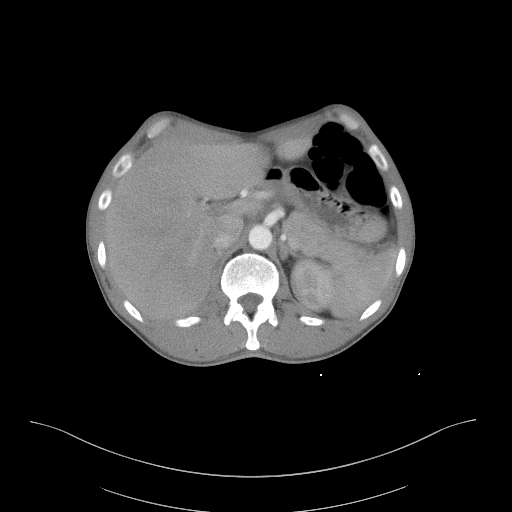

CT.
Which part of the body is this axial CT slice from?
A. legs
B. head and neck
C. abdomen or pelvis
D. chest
C. abdomen or pelvis
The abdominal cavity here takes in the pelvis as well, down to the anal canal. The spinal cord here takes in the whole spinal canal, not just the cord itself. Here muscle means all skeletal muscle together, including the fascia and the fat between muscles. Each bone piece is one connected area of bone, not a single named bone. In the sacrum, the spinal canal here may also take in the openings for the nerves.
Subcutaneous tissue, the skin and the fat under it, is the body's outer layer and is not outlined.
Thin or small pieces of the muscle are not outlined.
{"torso":[[[330,102],[348,104],[363,115],[390,152],[411,198],[415,250],[390,313],[346,350],[309,363],[286,364],[250,357],[196,367],[170,361],[154,352],[110,311],[86,251],[86,208],[109,159],[141,122],[158,110],[178,110],[214,124],[249,130],[298,116]]],"bones":[{"outer":[[246,252],[266,257],[275,265],[279,273],[279,286],[272,299],[277,324],[273,326],[266,320],[258,326],[256,336],[259,348],[256,350],[246,348],[247,331],[239,321],[233,320],[228,325],[223,321],[229,299],[221,289],[220,277],[225,264],[231,258]],"hole":[[248,293],[253,293],[254,294],[257,294],[258,295],[259,295],[262,298],[261,299],[261,301],[256,306],[255,311],[252,313],[247,313],[246,312],[245,312],[244,311],[244,308],[238,300],[241,296],[243,296]]},[[126,153],[130,153],[133,156],[131,167],[130,167],[129,169],[125,172],[125,173],[124,173],[119,177],[114,177],[112,174],[112,169],[114,165],[116,163],[116,162],[119,159],[119,158],[123,154],[125,154]],[[371,144],[375,144],[378,147],[378,148],[380,150],[380,151],[383,154],[384,157],[386,159],[386,160],[387,161],[387,163],[388,164],[388,168],[386,170],[382,170],[381,169],[380,169],[376,165],[374,160],[370,156],[370,155],[368,153],[368,147]],[[400,247],[403,247],[404,248],[404,249],[405,250],[405,265],[404,266],[404,268],[403,269],[403,271],[402,272],[402,273],[399,276],[397,276],[395,274],[395,265],[396,264],[396,259],[397,258],[397,255],[398,254],[398,250],[399,249],[399,248]],[[194,315],[195,316],[198,316],[200,317],[200,321],[195,324],[193,324],[190,326],[187,326],[186,327],[180,327],[179,326],[177,326],[175,325],[174,323],[174,320],[175,319],[177,319],[178,318],[183,318],[187,316],[193,316]],[[391,186],[395,186],[399,191],[399,193],[401,196],[401,198],[402,199],[402,207],[400,209],[399,209],[398,208],[396,208],[395,207],[394,207],[394,206],[393,205],[393,204],[392,203],[392,202],[390,199],[390,197],[389,196],[389,189]],[[106,189],[110,189],[112,191],[112,195],[111,196],[111,200],[110,201],[109,204],[107,206],[107,207],[105,209],[104,209],[103,210],[101,210],[98,208],[98,199],[99,198],[99,197],[100,196],[101,193],[104,190],[105,190]],[[377,299],[380,299],[381,300],[381,303],[380,304],[380,305],[378,307],[378,308],[371,315],[370,315],[368,317],[367,317],[362,320],[360,320],[359,319],[359,317],[360,316],[360,315],[362,313],[362,312],[370,304],[371,304],[375,300],[376,300]],[[101,240],[102,240],[104,242],[104,245],[105,246],[105,254],[106,255],[106,261],[105,262],[105,266],[104,267],[104,268],[102,268],[100,266],[100,265],[98,262],[98,259],[97,258],[97,249],[98,248],[98,245],[99,244],[99,242]],[[125,299],[129,301],[138,310],[138,311],[141,314],[142,316],[142,318],[143,319],[143,321],[142,322],[141,321],[139,321],[137,319],[133,317],[127,311],[127,310],[125,308],[123,304],[123,301]],[[302,315],[306,315],[307,316],[311,316],[312,317],[319,317],[320,318],[322,318],[323,319],[324,319],[324,322],[321,325],[307,325],[306,324],[305,324],[304,323],[303,323],[301,321],[300,321],[300,320],[299,319],[299,317],[300,316],[301,316]],[[163,119],[168,119],[168,122],[167,123],[166,123],[165,124],[165,125],[163,127],[162,127],[160,129],[160,130],[157,133],[157,134],[156,134],[153,137],[147,137],[147,132],[149,130],[149,129],[155,123],[156,123],[158,121],[160,121]],[[342,113],[344,113],[345,114],[346,114],[347,115],[348,115],[350,117],[351,117],[358,124],[358,126],[355,129],[351,129],[349,127],[348,127],[346,125],[346,124],[342,120],[342,119],[340,117],[340,115]]],"muscle":[[[333,107],[346,108],[361,119],[386,153],[402,186],[408,202],[412,232],[410,255],[404,271],[406,250],[403,246],[398,247],[398,227],[394,209],[400,210],[403,207],[402,196],[395,185],[391,185],[388,189],[382,173],[389,168],[384,154],[375,143],[366,145],[354,130],[359,124],[348,114],[342,112],[339,116],[327,117],[285,137],[241,141],[208,137],[169,122],[168,118],[163,118],[148,129],[146,138],[139,144],[134,155],[126,152],[118,158],[111,169],[112,176],[117,178],[113,189],[104,189],[97,199],[97,208],[105,210],[104,237],[97,245],[97,262],[102,269],[106,268],[113,285],[125,298],[122,304],[126,311],[142,323],[144,321],[142,315],[154,320],[173,320],[174,325],[180,328],[199,323],[201,317],[194,314],[210,302],[218,279],[220,289],[228,299],[222,321],[226,326],[233,321],[242,325],[246,331],[244,346],[247,350],[238,350],[206,361],[177,357],[158,347],[117,311],[105,290],[93,259],[89,236],[91,205],[110,165],[150,119],[162,114],[173,115],[248,136],[313,116]],[[280,270],[286,278],[289,299],[305,314],[298,319],[307,326],[358,314],[360,321],[368,318],[381,305],[378,298],[394,273],[402,275],[386,309],[356,335],[327,352],[289,357],[257,350],[259,326],[266,321],[273,327],[278,324],[273,299],[280,286]]],"spinal_cord":[[[248,293],[253,293],[254,294],[257,294],[258,295],[259,295],[262,298],[261,299],[261,301],[256,306],[255,311],[252,313],[247,313],[246,312],[245,312],[244,311],[244,308],[238,300],[241,296],[243,296]]],"abdominal_cavity":[[[335,117],[365,143],[385,180],[396,218],[394,272],[361,313],[344,319],[307,315],[290,299],[283,270],[250,251],[224,264],[209,302],[193,315],[148,317],[114,285],[106,267],[104,216],[118,178],[132,167],[144,140],[172,123],[218,140],[269,141]]]}